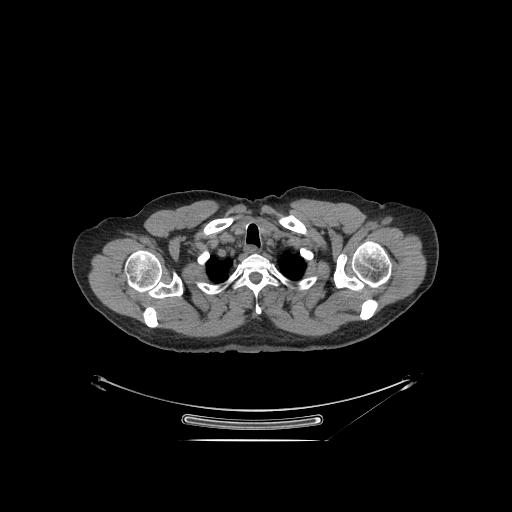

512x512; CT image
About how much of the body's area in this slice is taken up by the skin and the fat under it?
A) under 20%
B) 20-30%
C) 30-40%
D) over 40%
B) 20-30%
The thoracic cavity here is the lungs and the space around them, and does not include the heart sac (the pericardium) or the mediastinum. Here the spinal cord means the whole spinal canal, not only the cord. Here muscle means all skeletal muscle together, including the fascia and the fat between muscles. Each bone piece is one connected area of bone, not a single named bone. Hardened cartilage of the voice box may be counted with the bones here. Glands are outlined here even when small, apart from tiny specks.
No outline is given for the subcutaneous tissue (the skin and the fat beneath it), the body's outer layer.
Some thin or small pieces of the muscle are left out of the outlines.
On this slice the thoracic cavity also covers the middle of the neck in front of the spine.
The thoracic cavity is outlined by 248,221 258,222 259,231 265,238 271,230 277,232 286,247 298,252 306,263 301,278 291,279 269,257 253,252 243,257 224,280 216,283 211,281 206,270 211,254 219,256 224,238 234,230 238,236 243,234. The spinal cord is outlined by 254,272 256,272 257,273 259,273 261,275 261,278 260,279 260,280 257,283 255,283 254,282 253,282 252,281 251,281 251,280 250,279 250,274 251,273 253,273. The bones appear in 9 outlined pieces: piece 1: 253,253 269,258 282,274 293,281 313,275 317,279 312,286 303,290 282,284 277,287 266,285 258,294 260,314 255,312 253,292 246,286 235,290 229,286 216,294 207,294 196,285 196,281 220,283 243,258, around a hole outlined by 254,272 256,272 257,273 259,273 261,275 261,278 260,279 260,280 257,283 255,283 254,282 253,282 252,281 251,281 251,280 250,279 250,274 251,273 253,273; piece 2: 366,240 380,244 387,252 392,264 390,277 378,287 366,285 360,290 353,290 346,287 337,288 334,283 333,274 338,256 341,253 344,253 347,256 344,271 348,276 353,276 354,272 351,266 352,256 357,247; piece 3: 143,249 154,254 159,260 161,264 160,279 162,282 167,284 169,283 172,279 173,271 175,271 178,274 183,284 183,292 181,295 154,298 146,293 138,292 127,284 124,273 124,264 130,254 137,250; piece 4: 226,216 235,216 237,217 229,226 224,228 220,231 218,231 214,233 211,233 210,234 207,234 206,235 203,232 203,229 204,227 209,221 213,219 215,219 216,218 220,218 221,217 225,217; piece 5: 288,214 291,214 293,215 297,219 298,219 304,224 306,228 306,230 307,231 306,234 302,234 301,233 299,233 298,232 293,231 288,228 286,228 284,227 278,222 278,219 280,216 282,215 287,215; piece 6: 370,298 371,298 372,299 375,299 378,302 378,306 377,307 374,314 369,319 368,319 367,320 361,320 359,318 359,314 360,313 360,311 361,310 361,305 362,304 362,303 365,300 366,300 367,299 369,299; piece 7: 149,306 152,306 155,309 155,310 156,311 156,315 157,316 157,319 158,320 158,326 155,328 151,328 150,327 147,326 144,323 144,320 143,319 143,316 142,315 142,313 143,312 144,309 146,307 148,307; piece 8: 204,250 207,250 209,252 209,253 210,254 210,256 209,257 209,258 208,259 208,260 205,263 205,266 204,267 203,267 201,265 200,265 198,263 198,262 197,261 197,256 200,253 201,253; piece 9: 301,247 304,247 305,248 306,248 307,249 308,249 309,250 310,250 313,253 313,258 311,260 310,260 309,261 308,261 307,262 306,262 305,261 305,260 299,254 299,250 300,249 300,248. The thyroid glands appear in 2 outlined pieces: piece 1: 259,223 263,223 264,224 265,224 266,225 267,225 270,228 270,232 268,234 268,235 267,235 265,237 264,236 263,236 262,235 262,234 261,233 261,232 260,231 260,228 259,227; piece 2: 242,223 246,223 246,225 245,226 245,228 244,229 244,231 243,232 243,233 242,233 240,235 238,235 235,232 235,229 236,228 236,227 237,227 240,224 241,224. The right arm is outlined by 109,216 115,216 118,218 124,219 149,235 159,244 163,255 163,281 159,292 146,307 143,308 126,322 116,326 107,320 88,303 82,294 73,276 72,269 71,268 72,247 78,234 84,229 97,224 101,220. The left arm is outlined by 387,201 396,201 404,204 411,205 420,208 426,212 435,226 439,242 439,259 436,275 432,285 411,307 399,317 387,313 369,297 365,287 355,278 354,275 351,272 345,257 345,246 351,229 380,202 386,202. The muscle is outlined by 297,198 346,202 368,219 391,216 391,226 420,236 426,253 424,278 410,295 375,314 379,302 367,298 360,305 360,320 331,333 304,336 277,328 263,318 251,319 219,336 187,337 158,328 157,311 152,305 143,309 142,323 107,307 90,287 87,262 92,255 122,232 145,233 144,221 157,210 202,199 258,208 263,204 285,205, around holes outlined by 248,221 267,225 294,252 301,247 310,250 313,258 306,263 303,276 317,276 315,283 303,290 266,285 258,294 260,314 255,312 253,292 246,286 207,294 195,283 212,282 197,256 204,250 219,256 224,238 and by 366,240 380,244 387,252 392,264 390,277 378,287 366,285 360,290 353,290 346,287 337,288 334,283 333,274 338,256 341,253 344,253 347,256 344,271 348,276 353,276 354,272 351,266 352,256 357,247 and by 143,249 154,254 159,260 161,264 160,279 162,282 167,284 169,283 172,279 173,271 175,271 178,274 183,284 183,292 181,295 154,298 146,293 138,292 127,284 124,273 124,264 130,254 137,250 and by 226,216 235,216 237,217 229,226 224,228 220,231 218,231 214,233 211,233 210,234 207,234 206,235 203,232 203,229 204,227 209,221 213,219 215,219 216,218 220,218 221,217 225,217 and by 288,214 291,214 293,215 297,219 298,219 304,224 306,228 306,230 307,231 306,234 302,234 301,233 299,233 298,232 293,231 288,228 286,228 284,227 278,222 278,219 280,216 282,215 287,215. The torso is outlined by 298,185 351,190 379,202 350,229 344,257 368,297 384,312 397,317 389,325 367,339 340,348 258,353 164,350 116,327 146,308 164,281 160,244 116,216 131,216 150,200 170,192 206,189 252,200 280,195.